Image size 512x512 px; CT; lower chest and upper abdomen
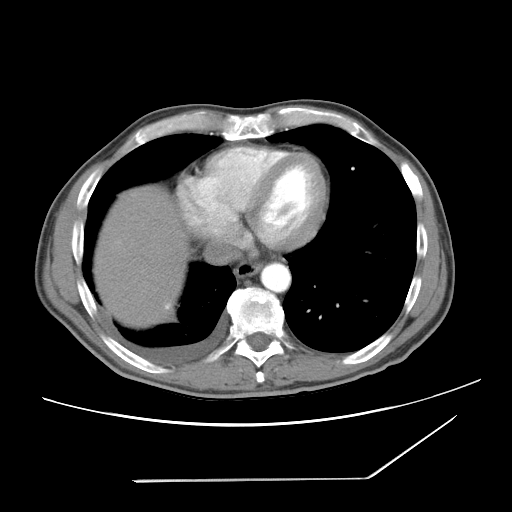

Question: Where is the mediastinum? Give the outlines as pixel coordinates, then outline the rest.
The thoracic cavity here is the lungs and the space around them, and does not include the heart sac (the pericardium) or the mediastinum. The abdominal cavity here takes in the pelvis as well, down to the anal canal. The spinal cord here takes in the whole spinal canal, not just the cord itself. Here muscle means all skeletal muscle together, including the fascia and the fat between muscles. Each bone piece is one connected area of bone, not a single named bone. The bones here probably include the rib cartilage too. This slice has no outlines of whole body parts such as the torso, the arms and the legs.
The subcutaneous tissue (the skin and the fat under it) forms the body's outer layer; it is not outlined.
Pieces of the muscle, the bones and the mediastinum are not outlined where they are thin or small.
Answer: Outlines:
mediastinum 1: [[198,248],[201,248],[201,251],[206,258],[231,249],[237,250],[238,252],[254,259],[269,258],[284,254],[289,254],[287,254],[286,255],[285,256],[285,258],[289,264],[292,280],[282,303],[274,293],[259,286],[251,285],[236,288],[236,279],[231,269],[227,265],[217,266],[201,261],[198,256]]
mediastinum 2: [[188,164],[189,164],[186,167],[185,167],[175,177],[175,178],[174,179],[175,180],[174,181],[175,182],[175,185],[173,187],[172,187],[172,184],[170,182],[170,180],[169,179],[168,179],[168,178],[167,177],[172,175],[178,170],[185,167]]
muscle: [[296,104],[331,109],[355,118],[419,171],[432,198],[446,261],[447,283],[439,309],[415,335],[377,362],[331,379],[295,381],[254,390],[202,390],[156,380],[121,367],[51,303],[44,290],[42,272],[56,213],[72,186],[88,168],[110,157],[135,129],[144,125],[123,144],[123,155],[103,174],[99,166],[84,180],[76,197],[76,207],[86,208],[85,221],[76,219],[71,231],[72,255],[82,271],[82,276],[76,280],[81,303],[92,319],[99,315],[109,333],[100,332],[99,337],[112,352],[145,372],[164,374],[171,369],[163,366],[183,365],[200,359],[210,363],[234,347],[234,355],[249,359],[258,369],[255,380],[260,384],[265,380],[261,366],[271,356],[284,355],[283,345],[291,350],[296,348],[290,336],[321,352],[350,353],[340,360],[344,365],[369,360],[393,338],[387,331],[402,310],[405,315],[409,313],[418,297],[422,278],[414,274],[416,260],[424,258],[428,249],[427,231],[424,224],[417,221],[415,204],[424,194],[420,180],[406,161],[398,167],[378,148],[380,143],[355,120],[335,111]]
bones 1: [[287,106],[341,114],[363,127],[379,143],[378,147],[340,127],[312,123],[241,140],[228,140],[207,130],[180,131],[149,140],[124,155],[122,151],[124,144],[140,128],[164,118],[199,110],[218,117],[228,113],[255,116],[261,112],[273,114]]
bones 2: [[251,286],[277,297],[284,312],[283,328],[295,347],[291,349],[283,344],[284,354],[271,355],[260,366],[264,376],[260,383],[256,380],[259,369],[249,358],[234,354],[234,346],[216,360],[202,360],[229,332],[232,322],[226,304],[230,295],[235,289]]; inner edge: [[256,332],[262,332],[263,333],[268,335],[270,337],[270,340],[269,341],[267,346],[264,349],[262,349],[261,350],[255,350],[252,348],[252,347],[248,343],[248,342],[247,341],[247,337],[248,336],[249,336],[250,335],[251,335]]
bones 3: [[100,333],[103,333],[108,336],[110,336],[121,345],[133,353],[156,365],[159,365],[160,366],[168,368],[170,369],[170,371],[169,372],[165,372],[164,373],[153,373],[152,372],[145,371],[140,368],[138,368],[130,364],[118,356],[105,344],[100,337]]
bones 4: [[385,332],[391,333],[393,335],[392,338],[381,350],[380,350],[372,357],[371,357],[369,359],[365,361],[363,361],[359,363],[355,363],[354,364],[344,364],[341,362],[341,360],[346,355],[348,355],[353,352],[355,352],[363,348],[368,344],[374,341]]
bones 5: [[99,167],[100,167],[102,169],[102,175],[99,179],[99,180],[97,182],[89,198],[89,200],[88,201],[87,206],[84,208],[81,208],[79,209],[77,207],[77,197],[78,196],[79,191],[83,183],[88,177],[88,176],[95,169]]
bones 6: [[76,220],[81,220],[84,223],[84,226],[83,227],[83,255],[82,256],[82,260],[81,261],[81,264],[80,265],[78,265],[76,263],[76,261],[73,255],[73,252],[72,251],[72,246],[71,245],[73,225],[74,224],[74,222]]
bones 7: [[402,162],[406,162],[408,164],[412,171],[417,176],[419,180],[419,182],[421,185],[421,188],[422,189],[422,193],[423,194],[422,195],[422,197],[420,199],[414,199],[411,193],[411,191],[407,185],[400,171],[400,169],[399,168],[400,167],[400,164]]
bones 8: [[81,277],[83,277],[90,292],[93,296],[93,298],[96,304],[97,312],[95,314],[93,318],[92,318],[89,315],[89,314],[85,309],[82,303],[82,301],[81,300],[81,298],[80,297],[80,295],[79,294],[79,292],[77,288],[77,280]]
bones 9: [[414,275],[417,275],[421,278],[421,284],[420,285],[420,288],[419,289],[417,297],[412,307],[408,313],[407,314],[405,314],[402,308],[403,307],[403,305],[404,304],[404,302],[405,301],[405,299],[406,298],[406,296],[407,295],[412,278]]
bones 10: [[418,222],[420,222],[421,223],[422,223],[423,224],[423,225],[425,228],[425,230],[426,231],[426,235],[427,236],[427,249],[426,250],[426,253],[425,254],[424,257],[421,257],[420,258],[417,259],[417,252],[416,251],[416,246],[417,245],[417,223]]
spinal cord: [[256,332],[262,332],[263,333],[268,335],[270,337],[270,340],[269,341],[267,346],[264,349],[262,349],[261,350],[255,350],[252,348],[252,347],[248,343],[248,342],[247,341],[247,337],[248,336],[249,336],[250,335],[251,335]]
abdominal cavity: [[162,178],[167,178],[173,188],[173,195],[181,221],[193,244],[197,246],[199,260],[192,262],[189,266],[187,281],[177,309],[177,321],[164,323],[145,331],[134,331],[112,321],[100,307],[100,300],[91,272],[92,254],[102,218],[114,196],[130,186]]
thoracic cavity 1: [[312,124],[340,128],[383,152],[399,169],[415,205],[416,259],[401,310],[386,331],[352,352],[314,349],[284,328],[285,312],[282,304],[293,280],[286,256],[307,245],[324,224],[330,206],[331,178],[321,158],[305,145],[271,141],[267,137],[282,130]]
thoracic cavity 2: [[180,132],[215,135],[219,143],[166,177],[118,191],[101,218],[91,254],[99,307],[134,332],[178,321],[192,263],[230,269],[235,288],[225,304],[231,322],[225,338],[204,357],[160,365],[106,329],[83,276],[84,227],[90,198],[112,165],[149,141]]
pericardium: [[242,140],[302,146],[315,154],[325,166],[330,184],[329,206],[323,224],[315,236],[303,247],[291,253],[269,257],[250,257],[234,248],[206,257],[202,248],[196,245],[186,231],[180,210],[178,209],[176,196],[174,195],[176,177],[192,162],[220,144]]